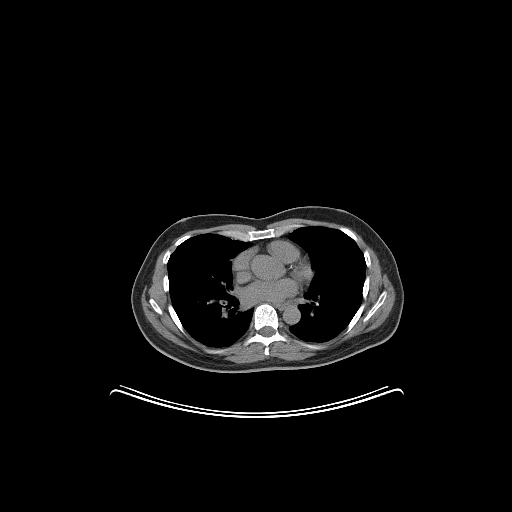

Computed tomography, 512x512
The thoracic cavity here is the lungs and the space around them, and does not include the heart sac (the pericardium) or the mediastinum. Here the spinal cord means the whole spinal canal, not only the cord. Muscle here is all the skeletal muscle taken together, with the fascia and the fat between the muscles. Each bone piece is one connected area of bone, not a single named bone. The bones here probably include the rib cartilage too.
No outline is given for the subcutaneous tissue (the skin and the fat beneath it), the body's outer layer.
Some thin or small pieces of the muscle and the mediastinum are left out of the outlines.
Outlines (x, y in pixels):
spinal cord: 265,326 269,326 270,327 271,327 274,330 274,332 271,335 270,335 269,336 264,336 263,335 262,335 259,332 259,331 260,330 260,329 261,328 262,328 263,327 264,327
muscle 1: 352,230 360,235 375,252 381,272 386,273 394,288 395,300 389,315 378,327 357,335 328,352 315,354 301,360 285,360 277,357 268,357 248,363 223,362 194,352 165,338 151,325 144,315 140,301 141,292 145,285 152,279 156,261 160,253 171,244 173,239 179,237 173,244 173,251 167,249 162,256 162,263 166,265 166,273 162,277 162,288 169,294 170,298 170,302 167,304 167,311 172,321 182,333 184,334 186,332 185,330 198,342 210,348 218,348 205,348 204,351 206,353 223,354 228,350 225,347 242,341 244,346 254,342 261,343 264,346 263,353 268,356 271,343 275,341 289,342 290,336 308,349 321,350 324,347 322,344 312,343 326,342 342,331 344,334 347,334 359,320 365,308 365,303 362,302 367,297 370,288 370,276 366,275 366,270 371,267 372,261 369,251 367,249 362,251 357,245 359,239; inner edges: 384,290 385,291 386,291 387,294 386,295 386,297 385,298 383,303 375,311 375,312 365,322 364,322 363,321 363,319 367,314 367,313 370,309 370,308 377,300 379,295 382,292 382,291 383,291, then 150,298 152,298 156,302 156,303 159,306 159,307 161,309 161,310 162,311 162,314 159,314 157,312 156,312 152,308 152,307 151,306 151,305 150,304 150,303 149,302 149,299
muscle 2: 289,218 303,218 304,219 319,220 325,222 336,222 340,225 342,225 338,226 337,228 334,228 333,227 328,227 322,225 305,225 300,223 288,223 277,227 265,228 266,226 270,223 280,221 284,219 288,219
muscle 3: 225,224 245,224 246,225 251,225 257,229 250,229 244,231 240,229 232,229 230,228 229,229 219,230 216,233 214,232 200,233 193,236 190,233 183,234 187,231 193,229 209,228 210,227 224,225
torso: 298,206 327,206 350,212 370,225 388,246 397,264 404,292 399,324 391,337 376,346 326,365 243,373 221,373 190,367 158,351 146,340 132,311 131,290 150,247 167,227 181,218 199,214 233,214 263,218
pericardium: 277,238 288,239 297,244 301,248 309,258 310,265 313,270 313,276 308,285 294,297 288,297 279,300 256,299 253,297 248,297 236,287 234,282 234,273 232,269 233,265 232,260 245,250 254,246 266,244
bones 1: 262,303 270,304 276,310 278,319 286,329 286,333 289,335 289,341 275,340 271,342 268,346 268,355 264,353 265,346 261,342 254,341 247,345 243,344 244,339 249,333 250,322 253,317 254,309 256,306, around a hole outlined by 265,326 269,326 270,327 271,327 274,330 274,332 271,335 270,335 269,336 264,336 263,335 262,335 259,332 259,331 260,330 260,329 261,328 262,328 263,327 264,327
bones 2: 288,224 300,224 304,225 304,226 298,227 290,232 286,232 279,236 256,239 250,241 234,239 229,236 221,235 217,233 217,232 222,230 229,230 230,229 232,230 240,230 246,232 250,230 277,228
bones 3: 384,290 385,291 386,291 387,294 386,295 386,297 385,298 383,303 375,311 375,312 365,322 364,322 363,321 363,319 367,314 367,313 370,309 370,308 377,300 379,295 382,292 382,291 383,291
bones 4: 362,303 364,303 364,308 363,309 358,320 354,324 354,325 352,327 352,328 347,333 344,333 344,331 347,327 349,322 351,320 351,319 353,317 353,316 355,314 355,313 357,311 357,310 359,308 359,307
bones 5: 170,303 172,305 172,307 175,311 175,312 176,313 176,314 177,315 177,316 184,329 184,331 185,332 184,333 183,332 182,332 178,328 178,327 176,325 176,324 173,321 173,320 168,311 168,304 169,304
bones 6: 340,226 344,226 345,227 347,227 349,229 350,229 355,234 355,235 358,239 358,241 357,242 356,242 351,237 350,237 347,234 346,234 344,232 341,231 339,229 337,229 338,228 338,227 339,227
bones 7: 367,275 368,276 369,276 369,288 368,289 368,291 367,292 367,295 366,296 366,297 364,299 363,299 363,296 362,295 362,292 363,291 363,285 364,284 364,281 365,280 365,278 366,277 366,276
bones 8: 298,341 302,341 303,342 306,342 307,343 311,343 312,344 320,344 321,345 322,345 323,346 323,347 321,349 311,349 310,348 308,348 307,347 306,347 305,346 304,346 303,345 302,345 299,342 298,342
bones 9: 150,298 152,298 156,302 156,303 159,306 159,307 161,309 161,310 162,311 162,314 159,314 157,312 156,312 152,308 152,307 151,306 151,305 150,304 150,303 149,302 149,299
bones 10: 208,348 209,349 218,349 219,348 227,348 227,350 225,352 224,352 223,353 209,353 208,352 206,352 205,351 205,349 207,349
bones 11: 186,234 190,234 191,235 191,237 190,237 189,238 188,238 187,239 186,239 184,241 183,241 181,243 180,243 175,248 174,247 174,244 175,243 175,242 181,236 182,236 183,235 185,235
bones 12: 364,250 367,250 368,251 368,252 369,253 369,257 370,258 370,260 371,261 371,265 370,266 370,267 369,268 368,267 367,267 367,266 366,265 366,263 365,262 365,258 364,257 364,255 363,254 363,251
bones 13: 165,274 167,274 167,277 168,278 168,282 169,283 169,290 168,291 168,292 166,292 164,290 164,289 163,288 163,277 164,276 164,275
bones 14: 167,250 170,250 171,251 172,251 172,252 170,254 170,255 169,256 169,258 168,259 168,261 167,262 167,263 166,264 164,264 163,263 163,256 164,255 164,254 165,253 165,252
thoracic cavity 1: 208,233 250,243 246,249 231,260 231,271 233,289 240,298 249,304 250,308 253,308 252,317 249,322 247,335 239,342 224,347 210,347 194,338 184,328 171,303 169,293 170,283 167,264 171,254 186,240
thoracic cavity 2: 305,226 322,226 333,228 344,233 361,250 366,266 360,305 343,330 331,339 322,342 299,340 286,331 290,326 300,321 302,315 299,305 303,301 303,295 314,276 314,270 307,252 297,243 289,239 291,232
mediastinum 1: 233,273 233,282 235,287 248,298 256,300 279,301 294,298 308,286 302,295 302,301 298,305 301,315 299,321 286,328 279,319 277,310 270,303 262,302 254,308 250,307 250,304 236,293 233,285
mediastinum 2: 286,233 289,233 288,234 288,238 282,238 281,237 277,237 276,238 274,238 268,241 266,243 254,245 248,248 251,245 251,243 250,242 251,241 261,240 262,239 269,239 270,238 275,238 276,237 279,237